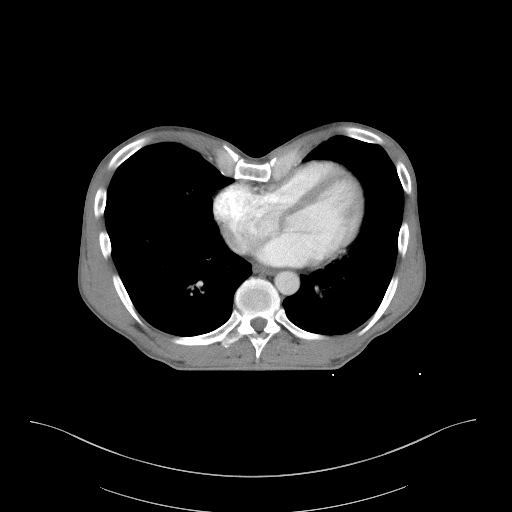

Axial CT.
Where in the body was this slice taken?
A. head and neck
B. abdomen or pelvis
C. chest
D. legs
C. chest
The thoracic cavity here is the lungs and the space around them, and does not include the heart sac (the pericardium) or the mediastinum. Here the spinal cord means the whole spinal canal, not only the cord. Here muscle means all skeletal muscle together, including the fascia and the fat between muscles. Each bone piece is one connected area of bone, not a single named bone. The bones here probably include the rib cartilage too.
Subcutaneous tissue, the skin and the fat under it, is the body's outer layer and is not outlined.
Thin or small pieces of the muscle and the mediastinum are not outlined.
Outlined structures:
pericardium: [[310,160],[331,160],[342,164],[355,175],[363,188],[365,211],[362,225],[357,237],[346,253],[322,268],[305,271],[292,267],[272,267],[264,265],[232,251],[222,237],[213,217],[212,198],[214,195],[220,189],[238,180],[262,183],[277,180],[298,162]]
muscle 1: [[366,129],[388,138],[409,166],[422,281],[412,303],[351,353],[323,365],[182,365],[144,347],[102,315],[84,294],[81,264],[89,195],[98,171],[113,154],[107,168],[114,171],[107,188],[100,186],[95,192],[93,214],[104,217],[105,229],[98,233],[98,243],[102,256],[106,260],[111,256],[117,271],[111,276],[114,289],[142,327],[146,326],[140,315],[175,335],[170,340],[183,346],[218,342],[228,348],[246,336],[256,360],[283,328],[299,339],[319,341],[327,335],[350,332],[367,321],[356,333],[361,336],[383,315],[396,292],[399,277],[393,273],[397,255],[406,255],[410,237],[403,219],[404,193],[412,193],[405,164],[401,160],[394,163],[381,145],[384,139]]
muscle 2: [[159,130],[189,131],[209,137],[223,143],[219,147],[216,147],[214,149],[213,151],[213,161],[212,161],[211,159],[198,150],[180,142],[176,141],[162,141],[161,142],[148,144],[149,138],[147,136],[142,136],[136,138],[145,133],[151,131],[158,131]]
muscle 3: [[342,124],[352,124],[365,128],[350,125],[342,126],[341,130],[343,135],[334,135],[320,142],[305,153],[301,150],[301,148],[298,144],[287,149],[279,155],[275,155],[270,159],[265,161],[279,149],[307,134],[317,132],[335,125],[341,125]]
thoracic cavity 1: [[162,142],[176,142],[198,151],[211,160],[222,175],[233,179],[231,183],[214,190],[211,196],[212,217],[229,249],[251,267],[251,273],[233,294],[228,318],[209,331],[193,335],[164,331],[138,312],[114,263],[105,223],[107,189],[115,170],[143,147]]
thoracic cavity 2: [[334,136],[345,136],[383,148],[395,166],[403,191],[403,210],[393,272],[376,309],[367,320],[350,331],[323,334],[306,330],[291,321],[282,303],[300,289],[302,276],[324,272],[348,256],[362,231],[366,198],[356,175],[338,161],[304,160],[314,147]]
spinal cord: [[258,317],[259,317],[260,318],[262,318],[263,319],[264,319],[266,321],[266,323],[265,324],[265,325],[263,327],[263,328],[260,331],[257,331],[251,325],[251,321],[253,319],[254,319],[255,318],[257,318]]
bones 1: [[249,277],[262,278],[273,285],[291,322],[306,331],[326,335],[327,338],[303,339],[283,327],[266,342],[258,359],[255,357],[255,348],[246,335],[228,347],[218,341],[206,345],[183,345],[171,340],[174,336],[206,333],[222,325],[231,315],[237,288]]; inner edge: [[258,317],[259,317],[260,318],[262,318],[263,319],[264,319],[266,321],[266,323],[265,324],[265,325],[263,327],[263,328],[260,331],[257,331],[251,325],[251,321],[253,319],[254,319],[255,318],[257,318]]
bones 2: [[224,143],[239,154],[248,163],[259,164],[266,162],[273,157],[279,156],[287,150],[298,145],[300,150],[304,154],[299,161],[292,165],[279,178],[262,182],[249,179],[233,178],[231,176],[227,176],[221,173],[214,163],[214,151],[216,148],[219,148]]
bones 3: [[393,275],[397,275],[398,277],[398,282],[397,283],[397,286],[396,287],[395,292],[388,306],[385,309],[382,315],[370,328],[369,328],[361,335],[357,335],[357,333],[367,323],[369,318],[377,309],[383,298],[383,296],[387,289],[387,287]]
bones 4: [[142,137],[147,137],[148,138],[148,142],[146,145],[143,146],[134,152],[129,157],[123,161],[114,170],[113,169],[110,169],[108,168],[108,163],[109,161],[114,155],[114,154],[118,150],[119,150],[126,144],[136,139],[138,139]]
bones 5: [[115,273],[117,273],[118,274],[135,309],[137,311],[141,320],[143,322],[145,326],[144,327],[142,326],[131,315],[131,314],[125,307],[122,301],[120,299],[115,289],[115,287],[113,283],[113,280],[112,279],[112,276],[113,274]]
bones 6: [[346,126],[350,126],[351,127],[358,127],[359,128],[365,129],[371,132],[373,132],[383,139],[383,143],[380,145],[376,143],[367,142],[366,141],[363,141],[359,139],[356,139],[352,137],[346,136],[344,135],[344,133],[342,130],[342,127],[345,127]]
bones 7: [[397,161],[401,161],[404,164],[409,174],[409,176],[410,177],[410,180],[411,181],[411,193],[410,194],[407,194],[405,193],[403,190],[403,188],[402,187],[401,182],[399,179],[399,177],[397,173],[396,166],[395,165],[395,163]]
bones 8: [[403,220],[404,221],[405,221],[408,225],[408,230],[409,231],[409,237],[408,238],[408,242],[407,243],[407,248],[406,249],[406,252],[405,253],[405,255],[403,257],[402,257],[398,253],[398,235],[399,234],[399,229],[400,228],[401,223]]
bones 9: [[100,187],[104,187],[106,189],[106,200],[105,201],[105,207],[104,208],[104,213],[103,214],[103,215],[101,215],[98,217],[96,217],[94,214],[94,200],[95,199],[95,195],[96,194],[96,192],[97,191],[97,190],[98,189],[98,188],[99,188]]
bones 10: [[103,230],[106,230],[106,231],[109,236],[109,239],[110,240],[110,244],[111,245],[111,255],[110,255],[106,259],[103,256],[103,255],[102,254],[102,252],[101,251],[101,248],[100,247],[100,244],[99,243],[99,233],[101,231],[102,231]]
mediastinum: [[357,238],[348,255],[327,267],[324,271],[321,270],[318,270],[317,271],[310,274],[302,275],[300,277],[299,289],[294,294],[286,297],[282,302],[278,291],[269,280],[262,277],[249,276],[252,273],[252,267],[243,258],[272,268],[292,268],[311,272],[315,270],[322,269],[345,255]]
torso: [[334,120],[352,120],[378,128],[394,138],[408,155],[417,180],[426,259],[426,282],[417,305],[339,369],[175,370],[142,353],[98,319],[82,301],[76,272],[84,199],[96,166],[113,147],[146,128],[175,124],[221,137],[250,156],[258,157],[300,132]]